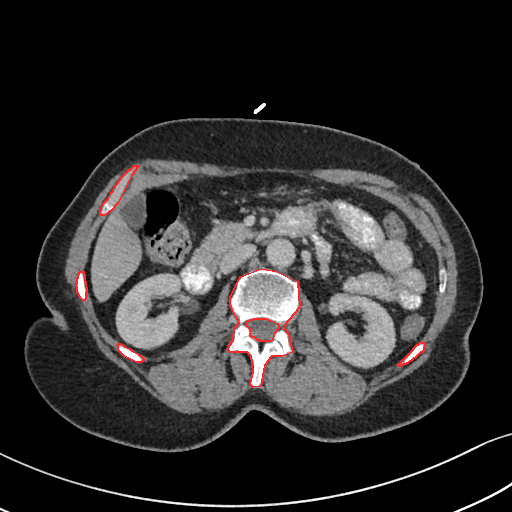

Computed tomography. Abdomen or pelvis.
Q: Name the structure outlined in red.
A: red: bones.
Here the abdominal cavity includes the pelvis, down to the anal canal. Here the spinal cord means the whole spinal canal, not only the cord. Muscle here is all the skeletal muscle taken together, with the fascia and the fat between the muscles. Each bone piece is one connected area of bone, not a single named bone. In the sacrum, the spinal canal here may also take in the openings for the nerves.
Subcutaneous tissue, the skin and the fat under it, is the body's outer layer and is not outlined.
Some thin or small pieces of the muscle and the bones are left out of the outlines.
The bones appear in 5 outlined pieces: piece 1: 261,268 277,271 297,281 299,307 283,326 288,334 292,352 282,356 271,356 264,365 260,386 253,387 250,384 253,371 251,356 247,352 230,352 227,349 233,339 234,328 239,322 230,306 230,297 240,276; inner edge: 254,318 266,318 277,323 278,325 278,328 273,334 272,340 270,341 260,341 259,340 257,340 254,337 252,337 250,335 250,333 251,332 250,331 250,329 247,326 246,322 248,320 250,319 253,319; piece 2: 134,165 137,165 138,166 131,175 117,203 110,211 109,211 106,214 104,215 101,215 100,214 100,210 101,209 101,207 103,203 108,198 111,192 113,190 115,185 121,178 121,177 129,169 130,169; piece 3: 118,343 120,343 122,344 124,346 129,348 131,350 137,353 143,358 143,360 141,362 136,362 124,356 119,351 118,349 118,346 117,345; piece 4: 420,342 423,342 424,343 424,347 423,348 423,350 421,352 420,352 414,358 413,358 407,363 406,363 405,364 403,364 400,366 398,366 399,363 400,363 401,362 401,361 413,349 413,348 417,344 418,344; piece 5: 80,271 83,271 83,273 84,274 84,280 85,281 85,286 86,287 86,292 85,293 85,299 84,300 83,300 80,298 80,297 77,292 77,287 76,286 76,284 77,283 77,278 78,277 78,274. The torso is outlined by 186,117 344,130 396,150 437,183 468,226 483,275 468,339 469,367 441,405 407,425 341,442 305,437 252,410 209,443 165,452 90,434 46,403 23,353 28,327 49,314 36,283 44,238 110,151 148,126. The spinal cord is outlined by 254,318 266,318 277,323 278,325 278,328 273,334 272,340 270,341 260,341 259,340 257,340 254,337 252,337 250,335 250,333 251,332 250,331 250,329 247,326 246,322 248,320 250,319 253,319. The muscle is outlined by 145,158 187,160 199,164 206,162 236,167 349,168 385,176 401,187 427,198 440,216 453,244 458,272 454,310 443,330 437,336 428,359 408,375 377,390 353,410 335,416 312,416 295,412 281,406 259,389 249,390 227,407 205,413 184,414 158,400 109,360 98,348 75,299 71,295 71,287 64,274 68,250 74,233 99,193 114,175 132,162, around holes outlined by 254,173 351,186 403,212 447,275 445,291 437,292 432,319 420,340 421,352 400,366 399,360 377,373 359,373 323,342 313,306 300,288 299,307 283,326 292,352 271,356 260,386 253,387 251,356 227,349 239,322 230,306 228,283 196,333 180,347 157,357 142,355 141,362 119,351 120,342 100,322 88,290 83,300 76,286 103,220 151,186 and by 134,165 137,165 138,166 131,175 117,203 110,211 109,211 106,214 104,215 101,215 100,214 100,210 101,209 101,207 103,203 108,198 111,192 113,190 115,185 121,178 121,177 129,169 130,169. The abdominal cavity is outlined by 254,173 291,174 369,192 403,212 431,246 438,268 434,313 423,337 402,359 370,375 343,363 323,342 298,281 267,267 240,275 230,296 225,284 196,333 157,357 140,355 102,325 85,269 103,220 151,186.